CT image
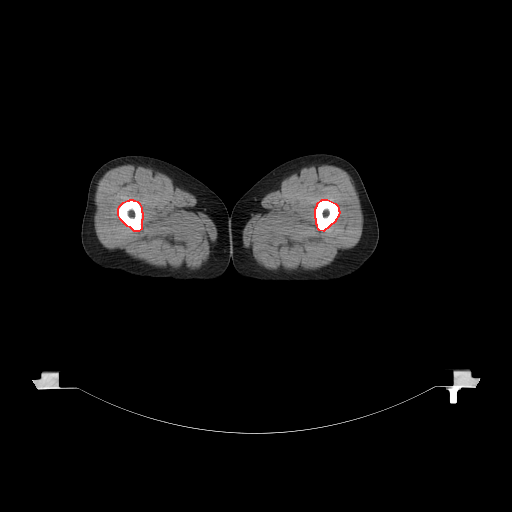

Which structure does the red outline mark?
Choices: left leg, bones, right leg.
red: bones.
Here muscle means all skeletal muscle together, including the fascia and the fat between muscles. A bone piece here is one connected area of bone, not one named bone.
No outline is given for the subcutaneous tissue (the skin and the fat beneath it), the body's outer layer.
The bones appear in 2 outlined pieces: piece 1: 130,199 132,199 133,200 135,200 137,201 139,203 141,207 141,211 142,212 142,219 141,220 141,229 138,231 134,231 130,227 127,226 120,219 118,215 118,208 119,206 123,202 127,200 129,200; piece 2: 322,199 327,199 335,203 337,205 338,207 338,210 339,211 338,216 335,220 335,221 323,231 319,230 318,229 317,225 316,224 316,219 315,218 315,208 317,205 317,203. The muscle appears in 2 outlined pieces: piece 1: 322,164 340,167 351,177 363,215 363,228 359,242 354,247 341,251 330,264 313,270 301,269 287,273 259,265 253,257 252,251 243,244 242,236 246,223 252,214 260,210 261,199 271,192 281,180 303,167, around a hole outlined by 322,199 327,199 335,203 337,205 338,207 338,210 339,211 338,216 335,220 335,221 323,231 319,230 318,229 317,225 316,224 316,219 315,218 315,208 317,205 317,203; piece 2: 125,164 150,167 164,173 176,187 195,196 197,208 212,220 217,231 217,237 210,246 209,257 199,268 192,270 184,265 179,268 170,266 156,267 132,258 123,250 109,250 99,242 94,227 97,185 108,170, around a hole outlined by 130,199 132,199 133,200 135,200 137,201 139,203 141,207 141,211 142,212 142,219 141,220 141,229 138,231 134,231 130,227 127,226 120,219 118,215 118,208 119,206 123,202 127,200 129,200. The right leg is outlined by 125,155 144,155 167,161 200,180 216,193 223,201 229,217 230,263 226,271 218,279 212,281 176,281 167,278 140,277 117,269 105,269 99,267 87,256 81,243 80,234 90,180 95,171 101,165 111,159. The left leg is outlined by 314,153 327,153 342,157 349,161 358,171 372,203 378,221 379,239 374,252 358,270 350,275 335,280 259,281 242,277 236,272 231,262 231,227 229,213 231,213 233,206 237,200 253,184 276,166 290,159.